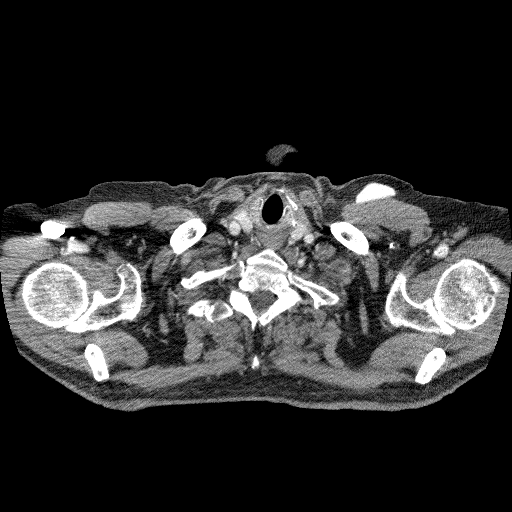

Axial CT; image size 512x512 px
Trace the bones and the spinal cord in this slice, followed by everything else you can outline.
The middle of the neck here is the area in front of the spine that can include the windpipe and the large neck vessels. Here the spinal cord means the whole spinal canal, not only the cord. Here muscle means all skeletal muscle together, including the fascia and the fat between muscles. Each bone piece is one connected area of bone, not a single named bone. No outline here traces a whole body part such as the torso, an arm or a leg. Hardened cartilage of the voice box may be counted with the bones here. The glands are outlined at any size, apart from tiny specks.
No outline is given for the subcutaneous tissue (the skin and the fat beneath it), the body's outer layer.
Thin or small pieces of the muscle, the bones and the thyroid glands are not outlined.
Outlined structures:
bones 1: 52,260 72,266 84,277 91,289 100,289 106,297 114,296 119,290 117,267 122,263 130,263 141,280 143,300 136,318 133,321 119,320 80,333 51,328 34,320 21,303 19,294 23,288 23,279 35,267
bones 2: 264,248 272,248 297,274 335,292 340,298 337,303 316,309 310,303 293,306 255,331 248,318 239,312 213,322 186,313 188,306 199,299 225,300 238,278 216,278 188,289 180,283 182,277 239,260 244,262; inner edge: 257,290 261,290 262,291 269,291 271,293 272,293 275,296 275,299 269,305 268,305 265,308 262,308 261,309 255,309 253,307 253,306 250,301 250,299 249,298 249,294 250,293 253,293 255,291 256,291
bones 3: 464,257 483,264 497,278 499,285 496,305 482,324 469,330 457,330 452,335 442,335 405,326 394,327 389,322 385,313 385,300 390,285 400,270 409,274 406,282 408,296 414,301 422,302 433,294 442,272
bones 4: 191,214 198,215 202,218 203,221 206,224 206,230 197,241 196,241 193,244 189,246 181,253 179,254 176,254 172,251 172,248 170,246 170,244 169,243 170,237 172,235 174,230 181,223 185,221 191,215
bones 5: 335,220 345,220 352,224 360,231 361,231 368,242 368,244 369,245 369,251 371,253 371,254 368,254 367,255 357,254 353,251 350,250 340,241 339,241 331,233 327,225 327,223 328,222 330,221 334,221
bones 6: 434,347 440,347 444,350 446,354 446,356 445,357 445,362 441,366 440,369 439,369 434,374 431,380 424,384 418,384 414,381 414,377 416,374 416,372 418,368 420,366 422,362 422,360 426,353
bones 7: 89,343 94,343 99,346 101,348 104,354 105,361 107,364 107,367 109,372 109,379 106,381 99,382 94,379 93,377 93,375 90,369 90,366 88,364 88,362 84,356 84,350 85,349 85,347 87,344
bones 8: 276,188 278,188 280,190 285,192 293,199 298,206 298,210 294,213 294,215 298,222 293,226 289,221 290,215 288,213 288,210 287,209 284,213 284,209 286,205 288,204 288,202 285,197 285,194 274,190
bones 9: 256,197 261,197 261,201 262,202 261,203 262,204 261,205 261,206 260,207 260,209 253,209 251,211 251,212 252,213 250,215 249,214 249,210 250,209 250,205 252,203 252,202 253,201 253,200
spinal cord: 257,290 261,290 262,291 269,291 271,293 272,293 275,296 275,299 269,305 268,305 265,308 262,308 261,309 255,309 253,307 253,306 250,301 250,299 249,298 249,294 250,293 253,293 255,291 256,291
muscle: 274,176 314,188 325,205 384,197 417,205 428,213 433,235 440,238 490,233 511,242 506,307 487,354 432,379 447,356 442,347 434,346 415,372 417,384 344,388 274,369 141,386 102,382 110,379 110,372 102,348 94,342 83,350 93,379 46,359 12,331 0,282 0,244 6,238 29,235 47,219 99,201 164,203 181,195 201,201 231,184 with holes at 276,188 297,204 294,215 307,230 320,233 308,245 276,252 339,301 316,309 293,306 255,331 239,312 213,322 187,314 199,299 225,300 238,278 188,289 182,277 244,262 262,249 234,237 221,220 233,221 and at 52,260 72,266 84,277 91,289 100,289 106,297 114,296 119,290 117,267 122,263 130,263 141,280 143,300 136,318 133,321 119,320 80,333 51,328 34,320 21,303 19,294 23,288 23,279 35,267 and at 464,257 483,264 497,278 499,285 496,305 482,324 469,330 457,330 452,335 442,335 405,326 394,327 389,322 385,313 385,300 390,285 400,270 409,274 406,282 408,296 414,301 422,302 433,294 442,272 and at 191,214 198,215 202,218 203,221 206,224 206,230 197,241 196,241 193,244 189,246 181,253 179,254 176,254 172,251 172,248 170,246 170,244 169,243 170,237 172,235 174,230 181,223 185,221 191,215 and at 335,220 345,220 352,224 360,231 361,231 368,242 368,244 369,245 369,251 371,253 371,254 368,254 367,255 357,254 353,251 350,250 340,241 339,241 331,233 327,225 327,223 328,222 330,221 334,221 and at 255,354 256,354 258,356 258,358 259,359 259,361 260,362 260,363 259,364 259,366 256,369 252,369 251,368 251,362 252,361 252,358 253,357 253,356
thyroid glands 1: 243,208 246,208 248,210 248,214 250,216 249,217 252,222 252,229 251,230 251,231 248,233 247,233 244,231 244,230 242,228 242,227 240,225 240,224 234,218 234,215 235,215 238,212 239,212
thyroid glands 2: 299,221 301,221 306,224 306,225 307,226 307,231 302,236 302,237 301,237 300,238 300,239 295,241 293,243 291,243 290,244 289,244 289,240 291,237 291,234 294,230 294,226 295,226 299,222
middle of the neck: 270,190 284,194 287,202 283,213 287,210 293,227 289,245 308,231 317,230 320,237 308,245 277,251 272,247 262,248 245,237 234,237 221,220 224,217 234,220 245,233 250,233 252,211 261,209 260,196